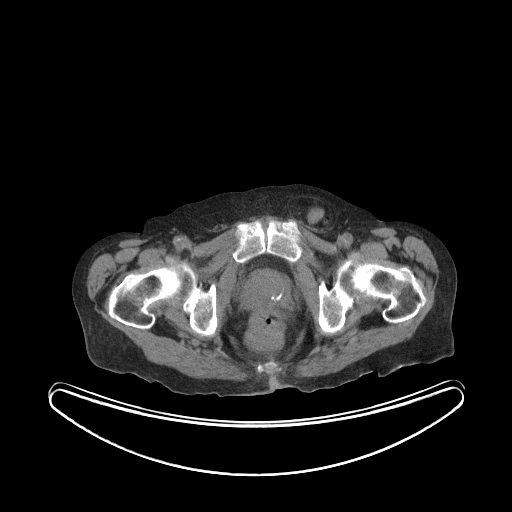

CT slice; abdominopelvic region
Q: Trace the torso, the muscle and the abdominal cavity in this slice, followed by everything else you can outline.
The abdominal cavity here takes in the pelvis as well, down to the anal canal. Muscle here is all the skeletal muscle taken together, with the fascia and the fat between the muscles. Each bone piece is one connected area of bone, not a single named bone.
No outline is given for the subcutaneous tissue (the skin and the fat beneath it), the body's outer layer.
A: {"torso":[[[293,183],[330,191],[381,220],[419,224],[444,243],[457,271],[452,356],[404,366],[382,377],[373,371],[332,388],[303,392],[287,387],[252,396],[176,393],[89,360],[71,283],[75,266],[90,245],[115,232],[139,232],[148,218],[215,194]]],"muscle":[{"outer":[[261,215],[299,220],[312,233],[327,241],[338,243],[344,248],[359,235],[377,227],[404,227],[411,230],[430,248],[438,265],[439,278],[432,307],[411,338],[378,350],[337,372],[316,377],[295,377],[286,374],[275,377],[253,377],[244,381],[198,379],[186,376],[171,367],[150,362],[122,331],[94,310],[86,288],[88,269],[94,256],[110,244],[131,238],[159,241],[177,248],[192,243],[197,244],[224,232],[236,221]],"holes":[[[256,220],[261,222],[264,229],[270,220],[294,220],[300,232],[299,244],[302,248],[301,256],[290,263],[305,305],[303,319],[290,345],[278,356],[267,359],[250,357],[239,344],[227,319],[238,271],[242,265],[232,257],[238,244],[236,226],[241,222]],[[348,258],[356,262],[372,262],[392,268],[406,266],[418,280],[426,298],[425,304],[412,318],[390,323],[382,317],[385,300],[352,290],[353,305],[346,312],[342,329],[334,333],[322,331],[318,322],[320,280],[324,280],[326,286],[330,288],[338,267]],[[181,262],[186,262],[194,271],[203,290],[207,290],[211,283],[215,284],[217,326],[213,335],[198,334],[190,326],[189,315],[182,309],[190,287],[186,278],[179,293],[151,305],[155,322],[148,329],[123,324],[109,315],[108,297],[126,275],[175,266]],[[311,322],[311,323],[312,324],[312,345],[302,357],[300,357],[299,358],[297,358],[296,359],[295,359],[296,356],[299,353],[300,353],[301,352],[301,351],[303,349],[303,343],[306,338],[306,335],[307,334],[307,328],[308,327],[309,324]],[[268,361],[273,361],[274,362],[275,362],[276,363],[276,364],[280,368],[280,370],[279,371],[276,371],[275,370],[273,370],[270,372],[266,372],[265,371],[263,371],[262,372],[259,372],[258,371],[257,371],[256,368],[259,364],[263,364]]]}],"abdominal_cavity":[[[265,253],[280,257],[291,264],[293,267],[296,286],[305,305],[305,311],[303,319],[295,337],[290,345],[282,353],[272,358],[254,359],[250,357],[243,350],[235,337],[233,330],[228,323],[227,311],[230,307],[240,267],[242,264],[244,264],[252,258]],[[314,207],[316,207],[317,208],[318,207],[322,207],[324,208],[325,210],[325,214],[324,216],[318,222],[312,225],[310,225],[308,224],[307,222],[307,215],[309,211],[312,208]]],"bones":[[[348,258],[356,262],[372,262],[392,268],[406,266],[418,280],[426,298],[425,304],[412,318],[390,323],[382,317],[385,300],[352,290],[353,305],[346,312],[342,329],[334,333],[322,331],[318,322],[320,280],[324,280],[326,286],[330,288],[338,267]],[[181,262],[186,262],[194,271],[203,290],[207,290],[211,283],[215,284],[217,326],[213,335],[198,334],[190,326],[189,315],[182,309],[190,287],[186,278],[179,293],[151,305],[155,322],[148,329],[123,324],[109,315],[108,297],[126,275],[175,266]],[[256,220],[261,222],[264,229],[267,227],[270,220],[280,222],[294,220],[300,232],[299,244],[302,248],[301,256],[296,261],[289,262],[280,256],[265,252],[252,257],[244,263],[235,261],[232,257],[232,253],[238,244],[238,239],[235,235],[237,224]],[[268,361],[273,361],[274,362],[275,362],[276,363],[276,364],[280,368],[280,370],[279,371],[276,371],[275,370],[273,370],[270,372],[266,372],[265,371],[263,371],[262,372],[259,372],[258,371],[257,371],[256,368],[259,364],[263,364]]]}